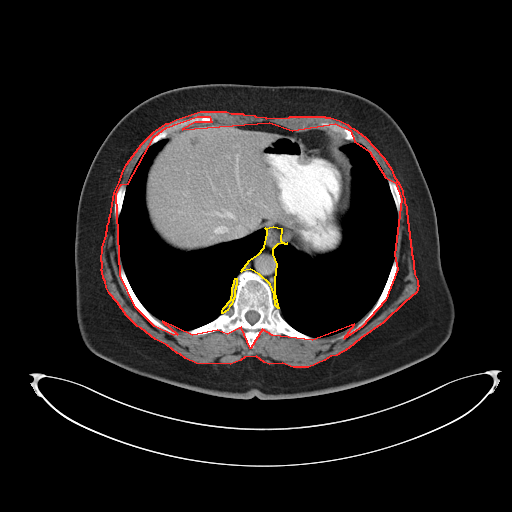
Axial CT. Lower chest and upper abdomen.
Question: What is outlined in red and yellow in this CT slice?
Answer: red: muscle; yellow: mediastinum.
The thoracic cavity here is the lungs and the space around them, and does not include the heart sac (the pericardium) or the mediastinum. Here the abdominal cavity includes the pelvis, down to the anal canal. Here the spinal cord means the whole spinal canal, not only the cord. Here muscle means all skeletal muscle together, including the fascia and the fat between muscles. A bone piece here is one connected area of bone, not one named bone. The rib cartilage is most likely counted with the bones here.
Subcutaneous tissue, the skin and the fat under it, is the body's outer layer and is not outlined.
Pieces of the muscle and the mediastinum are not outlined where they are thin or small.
{"muscle":[{"outer":[[200,111],[226,111],[231,113],[242,113],[243,114],[254,115],[255,116],[265,117],[266,118],[289,117],[290,116],[324,116],[325,117],[330,117],[339,120],[347,124],[350,127],[353,128],[365,137],[383,157],[391,169],[393,175],[399,184],[402,191],[402,194],[404,198],[404,202],[406,207],[407,222],[408,223],[408,230],[409,231],[409,238],[410,239],[410,246],[411,247],[411,254],[412,255],[414,274],[417,280],[417,284],[418,285],[416,292],[404,302],[383,322],[360,338],[348,348],[336,355],[330,356],[324,360],[308,367],[293,367],[282,363],[269,364],[264,362],[256,356],[244,357],[240,360],[230,364],[196,363],[185,358],[180,354],[177,353],[167,345],[155,339],[141,328],[137,326],[126,315],[117,302],[109,293],[106,287],[105,281],[103,278],[102,271],[101,270],[102,267],[102,262],[101,261],[102,247],[106,235],[106,231],[107,230],[107,226],[109,221],[109,217],[110,216],[114,192],[119,182],[123,170],[127,163],[141,144],[154,131],[166,123],[168,123],[176,119]],"hole":[[197,116],[209,116],[211,122],[195,122],[182,129],[269,122],[292,130],[335,123],[350,130],[354,141],[369,151],[385,177],[395,182],[401,199],[394,254],[397,269],[385,300],[361,327],[344,338],[354,324],[312,340],[272,335],[262,329],[250,348],[241,327],[227,334],[217,330],[192,335],[162,321],[177,334],[173,335],[154,326],[135,307],[120,275],[116,193],[121,184],[128,183],[154,136],[166,127]]}],"mediastinum":[[[273,226],[281,228],[280,240],[284,243],[287,243],[277,244],[272,249],[272,254],[276,264],[274,279],[274,293],[278,308],[275,305],[274,294],[270,284],[259,274],[250,269],[241,271],[249,260],[258,254],[264,247],[267,233],[267,230],[265,228]],[[235,278],[236,278],[236,285],[235,286],[235,289],[234,290],[234,297],[232,300],[232,302],[231,304],[229,306],[227,310],[222,313],[222,310],[223,308],[231,299],[231,296],[232,295],[232,287],[233,286],[233,284],[234,283],[234,280]]],"bones":[{"outer":[[246,270],[256,273],[269,284],[274,305],[282,317],[296,330],[313,337],[312,340],[284,334],[272,335],[262,329],[254,346],[250,348],[244,336],[245,330],[241,327],[227,334],[220,330],[200,335],[187,333],[228,310],[235,297],[237,277]],"hole":[[250,310],[253,310],[254,311],[255,311],[256,312],[257,312],[259,314],[259,318],[254,323],[253,323],[252,324],[251,323],[250,323],[246,319],[246,318],[245,317],[245,314],[248,311],[249,311]]},[[122,265],[122,267],[129,282],[129,284],[139,301],[154,317],[158,319],[165,326],[174,331],[177,334],[176,335],[170,334],[154,326],[149,321],[148,321],[135,307],[131,301],[129,296],[127,294],[121,279],[121,276],[120,275],[120,267]],[[395,256],[397,257],[397,269],[396,270],[396,273],[395,274],[395,277],[394,278],[392,286],[385,300],[379,309],[363,325],[362,325],[361,327],[348,336],[344,338],[341,338],[343,335],[346,334],[354,328],[356,325],[365,318],[375,306],[387,281]],[[197,116],[209,116],[213,119],[211,122],[208,122],[207,123],[195,122],[192,124],[189,124],[179,129],[176,129],[170,132],[166,137],[162,138],[150,145],[150,142],[153,137],[164,128],[176,124],[186,119],[192,117],[196,117]],[[322,122],[327,122],[328,123],[335,123],[345,128],[347,128],[354,134],[355,136],[355,140],[354,141],[350,141],[349,140],[344,139],[343,137],[338,135],[337,133],[333,131],[331,131],[328,128],[323,127],[320,124],[320,123]],[[121,184],[125,184],[126,185],[126,189],[125,190],[125,194],[123,198],[123,202],[122,203],[121,210],[118,216],[118,218],[116,219],[115,218],[115,215],[114,214],[114,201],[115,200],[115,197],[116,196],[116,193],[118,190],[118,188]],[[387,179],[391,179],[393,180],[395,182],[397,186],[397,188],[399,191],[399,193],[400,194],[400,198],[401,199],[401,210],[399,212],[397,212],[396,206],[395,205],[395,203],[394,202],[394,200],[393,199],[393,197],[392,196],[392,194],[391,193]]],"spinal_cord":[[[250,310],[253,310],[254,311],[255,311],[256,312],[257,312],[259,314],[259,318],[254,323],[253,323],[252,324],[251,323],[250,323],[246,319],[246,318],[245,317],[245,314],[248,311],[249,311]]],"torso":[[[208,83],[341,89],[373,101],[397,122],[415,153],[433,200],[441,267],[454,304],[451,335],[436,353],[348,389],[289,399],[255,396],[240,399],[158,381],[118,366],[88,349],[76,317],[74,243],[80,192],[91,162],[110,130],[133,107],[166,90]]],"thoracic_cavity":[[[350,142],[364,146],[386,178],[397,213],[396,248],[382,290],[365,315],[340,332],[314,337],[293,327],[280,311],[275,293],[277,264],[273,249],[277,245],[288,244],[312,258],[334,252],[340,247],[344,238],[344,220],[352,204],[352,164],[342,150]],[[162,139],[166,141],[155,154],[147,170],[144,203],[151,227],[168,246],[190,252],[237,240],[263,228],[266,230],[263,247],[234,278],[230,299],[221,313],[212,320],[187,330],[161,321],[140,301],[123,267],[118,242],[118,219],[130,176],[142,154]]],"abdominal_cavity":[[[256,122],[269,122],[291,130],[321,127],[349,141],[341,150],[351,164],[351,204],[343,220],[339,247],[312,257],[282,241],[282,228],[273,225],[201,249],[183,251],[168,245],[152,227],[145,203],[148,170],[166,143],[165,138],[195,125],[236,126]]]}